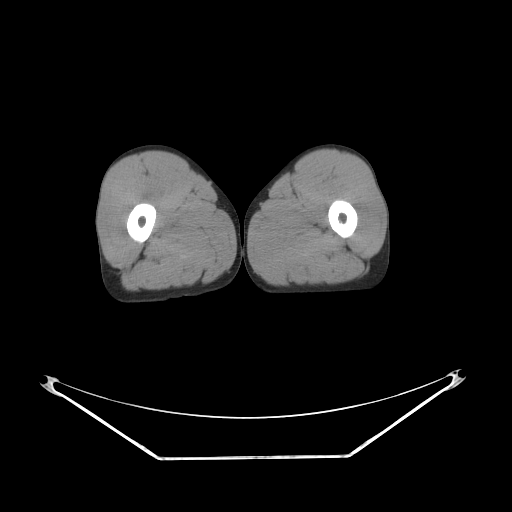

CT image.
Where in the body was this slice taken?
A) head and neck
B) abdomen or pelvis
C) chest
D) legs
D) legs
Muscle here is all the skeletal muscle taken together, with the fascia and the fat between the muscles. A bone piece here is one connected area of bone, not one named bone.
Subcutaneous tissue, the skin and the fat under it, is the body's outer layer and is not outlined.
The bones appear in 2 outlined pieces: piece 1: 140 202; 148 202; 152 204; 154 206; 156 210; 156 218; 155 219; 155 223; 152 229; 152 231; 148 238; 143 242; 138 242; 134 240; 129 235; 126 228; 126 220; 127 219; 127 217; 128 216; 129 212; 137 203; 139 203; piece 2: 335 199; 343 199; 344 200; 346 200; 350 202; 350 203; 356 210; 356 212; 357 213; 357 225; 353 233; 350 236; 346 237; 345 238; 337 234; 331 228; 329 224; 329 222; 328 221; 328 217; 327 216; 328 208; 330 204. The muscle appears in 2 outlined pieces: piece 1: 145 150; 164 150; 174 153; 182 157; 195 170; 208 177; 224 210; 233 222; 237 242; 237 250; 234 261; 228 271; 208 284; 155 292; 126 291; 120 287; 115 274; 104 257; 99 240; 97 221; 97 211; 104 180; 111 167; 120 159 with a hole at 140 202; 148 202; 152 204; 154 206; 156 210; 156 218; 155 219; 155 223; 152 229; 152 231; 148 238; 143 242; 138 242; 134 240; 129 235; 126 228; 126 220; 127 219; 127 217; 128 216; 129 212; 137 203; 139 203; piece 2: 319 148; 335 148; 344 150; 355 154; 366 163; 370 169; 386 213; 384 241; 379 252; 371 259; 370 270; 361 278; 335 284; 326 283; 302 286; 274 286; 267 283; 255 273; 249 262; 247 255; 248 225; 257 204; 271 183; 303 155; inner edge: 335 199; 343 199; 344 200; 346 200; 350 202; 350 203; 356 210; 356 212; 357 213; 357 225; 353 233; 350 236; 346 237; 345 238; 337 234; 331 228; 329 224; 329 222; 328 221; 328 217; 327 216; 328 208; 330 204. The left leg is outlined by 321 143; 338 143; 349 146; 363 154; 371 163; 375 171; 379 186; 387 202; 389 210; 390 254; 387 272; 382 281; 375 288; 368 291; 287 295; 267 294; 259 289; 252 282; 242 262; 243 222; 246 209; 259 190; 291 158; 302 150. The right leg is outlined by 144 144; 164 144; 177 148; 187 154; 207 172; 233 204; 238 215; 240 226; 241 263; 236 276; 227 286; 195 297; 182 297; 164 302; 130 304; 116 301; 106 291; 100 273; 98 246; 94 225; 100 182; 106 168; 114 158; 130 148.